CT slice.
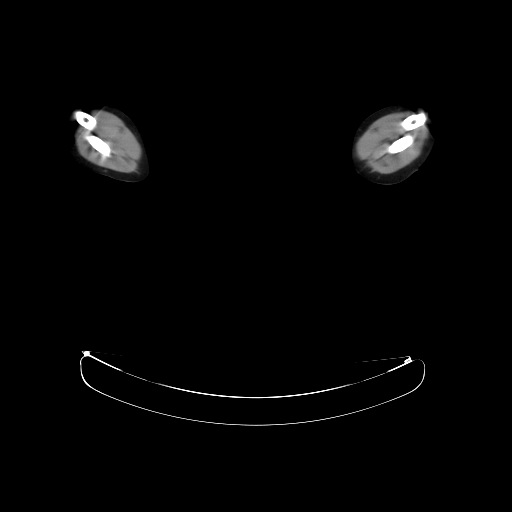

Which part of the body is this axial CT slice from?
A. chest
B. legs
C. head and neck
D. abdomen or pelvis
C. head and neck
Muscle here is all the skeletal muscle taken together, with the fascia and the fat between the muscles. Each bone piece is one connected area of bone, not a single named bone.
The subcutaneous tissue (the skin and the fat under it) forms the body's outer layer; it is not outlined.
{"bones":[[[419,109],[421,109],[426,112],[427,119],[424,125],[420,126],[411,131],[411,133],[414,136],[414,140],[412,145],[399,152],[396,152],[395,153],[384,152],[387,146],[400,137],[404,133],[402,132],[399,123],[407,116],[414,113],[417,113]],[[75,110],[81,110],[82,111],[84,111],[90,114],[96,119],[96,126],[93,132],[103,140],[109,143],[112,151],[108,157],[106,157],[103,159],[101,154],[96,149],[92,147],[92,146],[84,138],[84,135],[87,132],[87,130],[76,121],[73,114]]],"head_and_neck":[[[240,222],[243,222],[252,231],[251,232],[251,233],[243,241],[240,241],[237,238],[237,233],[238,232],[238,231],[239,230],[239,226],[240,225]]],"left_arm":[[[397,103],[409,103],[410,104],[422,105],[429,108],[433,112],[437,119],[437,137],[435,145],[429,157],[420,169],[416,171],[406,180],[390,185],[370,182],[358,176],[354,172],[351,166],[349,159],[349,143],[350,139],[357,126],[368,115],[382,107]]],"muscle":[[[394,110],[414,112],[398,123],[403,133],[386,146],[384,153],[395,154],[412,146],[415,140],[412,131],[425,125],[428,119],[427,113],[431,125],[430,137],[420,155],[405,167],[393,173],[372,175],[365,171],[356,160],[354,154],[356,143],[371,123]],[[86,107],[104,109],[119,117],[130,129],[139,142],[143,154],[141,174],[102,167],[86,160],[79,154],[75,144],[72,115],[75,121],[86,130],[83,138],[100,154],[103,160],[108,158],[113,151],[110,143],[94,132],[97,119],[90,113],[78,109]]],"right_arm":[[[82,102],[104,102],[108,103],[123,111],[135,123],[144,138],[151,165],[150,174],[146,179],[139,182],[134,182],[133,183],[115,180],[88,171],[82,168],[74,160],[71,156],[65,143],[63,128],[62,127],[62,118],[63,117],[63,113],[66,108]]]}